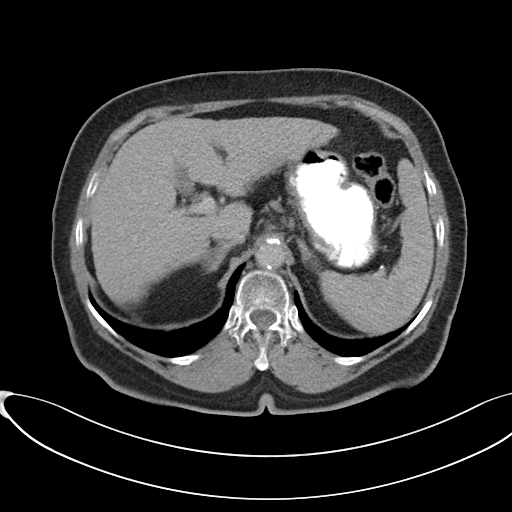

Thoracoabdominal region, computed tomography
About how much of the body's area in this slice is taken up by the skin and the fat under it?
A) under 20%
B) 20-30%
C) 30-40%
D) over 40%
Answer: B) 20-30%
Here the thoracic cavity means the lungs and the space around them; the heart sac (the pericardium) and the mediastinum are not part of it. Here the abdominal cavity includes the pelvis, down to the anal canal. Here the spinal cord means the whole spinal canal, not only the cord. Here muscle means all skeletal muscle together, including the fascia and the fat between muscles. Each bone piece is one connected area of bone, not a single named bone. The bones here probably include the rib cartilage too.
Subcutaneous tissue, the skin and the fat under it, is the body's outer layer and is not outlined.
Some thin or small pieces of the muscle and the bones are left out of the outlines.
The abdominal cavity is outlined by 257 102; 354 108; 405 139; 424 177; 437 248; 427 297; 403 326; 360 339; 326 333; 304 310; 287 271; 287 246; 272 235; 235 268; 221 306; 185 327; 130 325; 102 309; 89 292; 83 257; 88 212; 108 161; 126 136; 148 122. The spinal cord is outlined by 255 310; 267 310; 268 311; 270 311; 271 312; 272 312; 275 315; 275 317; 276 318; 275 319; 275 320; 271 324; 270 324; 264 330; 260 330; 258 328; 258 327; 251 320; 251 319; 250 318; 250 315; 251 314; 251 313. The muscle is outlined by 319 94; 355 95; 400 117; 415 134; 440 184; 449 219; 450 257; 443 289; 426 330; 357 377; 324 392; 295 390; 266 370; 270 366; 267 350; 274 333; 286 346; 297 333; 306 332; 334 353; 332 360; 343 366; 363 361; 366 354; 400 334; 408 335; 432 305; 433 298; 428 294; 437 249; 444 245; 445 227; 440 214; 435 222; 433 218; 430 197; 437 193; 436 184; 427 170; 422 172; 416 163; 401 134; 406 133; 405 129; 391 116; 357 101; 354 104; 369 113; 344 105; 324 108; 257 101; 164 117; 130 131; 113 151; 100 179; 97 170; 92 173; 85 191; 85 197; 91 197; 85 231; 84 219; 81 216; 77 219; 74 243; 77 247; 82 245; 88 291; 84 302; 115 338; 122 336; 148 352; 166 357; 172 364; 185 366; 198 360; 201 355; 194 352; 221 331; 227 331; 238 345; 251 332; 257 342; 253 365; 258 370; 233 389; 202 392; 166 379; 102 338; 93 329; 76 291; 68 241; 81 189; 113 130; 136 113; 159 105. The bones appear in 10 outlined pieces: piece 1: 254 269; 271 271; 282 277; 305 330; 303 333; 297 332; 287 341; 286 345; 282 345; 278 334; 274 332; 266 350; 269 366; 262 371; 254 365; 259 350; 258 342; 252 332; 247 332; 238 344; 227 330; 222 330; 234 302; 240 278 with a hole at 255 310; 267 310; 268 311; 270 311; 271 312; 272 312; 275 315; 275 317; 276 318; 275 319; 275 320; 271 324; 270 324; 264 330; 260 330; 258 328; 258 327; 251 320; 251 319; 250 318; 250 315; 251 314; 251 313; piece 2: 430 297; 432 298; 432 302; 431 303; 431 305; 430 307; 426 312; 425 315; 415 326; 415 327; 408 334; 404 336; 402 336; 401 335; 401 333; 408 326; 408 325; 413 320; 413 319; 419 312; 419 311; 421 309; 426 299; piece 3: 355 102; 360 103; 365 106; 371 108; 374 108; 379 111; 385 113; 388 116; 395 120; 404 129; 405 133; 400 132; 397 128; 393 126; 388 121; 384 120; 382 118; 374 114; 370 114; 367 109; 364 109; 356 105; piece 4: 88 296; 92 305; 95 308; 95 309; 98 312; 98 313; 106 321; 106 322; 118 334; 120 335; 120 338; 117 338; 115 337; 96 319; 96 318; 93 315; 93 314; 91 312; 91 311; 89 309; 89 308; 87 306; 85 302; 85 299; piece 5: 192 353; 196 353; 197 354; 199 354; 200 355; 200 357; 198 359; 191 362; 189 364; 186 364; 185 365; 181 365; 180 364; 177 364; 176 363; 172 363; 168 360; 168 358; 169 357; 177 357; 178 356; 183 356; 184 355; 188 355; piece 6: 336 355; 338 355; 339 356; 343 356; 344 357; 352 357; 353 356; 362 356; 364 355; 365 356; 365 358; 363 360; 359 362; 357 362; 356 363; 354 363; 350 365; 343 365; 342 364; 339 364; 335 362; 333 360; 333 357; piece 7: 439 215; 440 215; 442 217; 442 219; 443 220; 443 226; 444 227; 444 239; 443 240; 443 245; 441 247; 438 247; 438 245; 437 244; 437 239; 436 238; 436 231; 435 230; 435 223; 436 222; 436 221; 437 220; 437 218; piece 8: 80 217; 81 217; 83 219; 83 224; 82 225; 82 226; 83 227; 83 242; 82 243; 82 244; 80 246; 77 246; 76 245; 76 244; 75 243; 75 228; 76 227; 76 224; 77 223; 77 221; 78 220; 78 219; piece 9: 95 171; 97 171; 99 173; 97 177; 97 179; 98 180; 98 184; 97 185; 97 187; 93 195; 87 198; 86 197; 86 191; 87 190; 87 187; 90 181; 90 179; 93 173; piece 10: 424 169; 426 170; 428 175; 432 179; 432 180; 435 184; 436 193; 434 195; 432 195; 431 196; 429 196; 428 194; 428 191; 426 187; 426 183; 425 182; 425 177; 423 173; 423 170. The torso is outlined by 292 67; 337 68; 378 78; 415 97; 438 125; 467 218; 465 275; 439 361; 424 380; 408 389; 333 410; 291 415; 272 414; 266 408; 253 416; 209 414; 115 390; 74 353; 51 265; 52 207; 74 137; 99 106; 140 85; 208 71. The mediastinum appears in 2 outlined pieces: piece 1: 269 236; 280 239; 284 242; 286 246; 287 249; 286 271; 291 282; 296 289; 292 296; 289 294; 283 277; 277 272; 271 270; 254 268; 247 271; 243 276; 242 275; 241 276; 241 272; 244 269; 245 261; 251 256; 261 242; 266 237; piece 2: 384 121; 386 121; 387 122; 388 122; 393 127; 394 127; 396 129; 397 129; 399 131; 399 132; 400 133; 400 134; 398 136; 396 136; 392 132; 391 132; 386 127; 385 127; 383 125; 384 124. The thoracic cavity appears in 2 outlined pieces: piece 1: 241 264; 243 264; 243 269; 240 272; 233 302; 221 330; 204 345; 188 354; 167 357; 148 351; 132 343; 107 322; 89 297; 89 293; 102 310; 125 324; 147 330; 169 332; 201 322; 213 315; 222 306; 226 296; 228 282; 236 268; piece 2: 296 292; 298 294; 303 310; 309 319; 326 334; 337 338; 347 340; 375 338; 383 336; 390 332; 393 332; 403 327; 412 320; 398 335; 365 354; 352 356; 339 355; 322 346; 306 331; 300 320; 298 309; 292 299; 292 297.